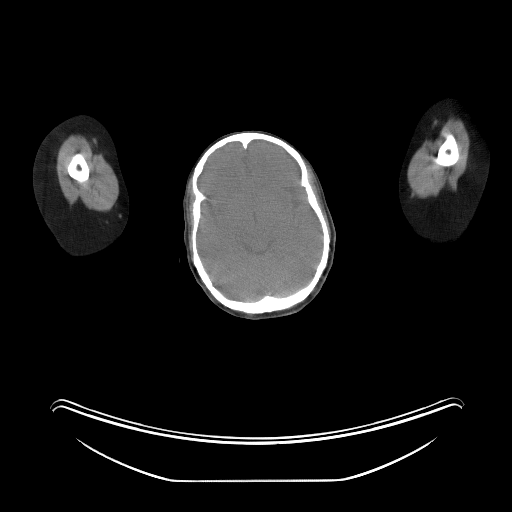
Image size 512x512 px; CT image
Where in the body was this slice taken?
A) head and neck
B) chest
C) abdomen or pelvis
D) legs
Answer: A) head and neck
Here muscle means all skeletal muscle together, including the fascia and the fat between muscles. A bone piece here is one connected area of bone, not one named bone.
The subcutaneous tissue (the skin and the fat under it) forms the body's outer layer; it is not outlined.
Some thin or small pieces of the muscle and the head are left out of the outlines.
The right arm is outlined by 80,113 89,114 97,118 107,128 114,141 120,168 129,196 129,215 127,223 121,235 113,244 103,251 93,255 85,257 74,257 66,254 59,247 44,223 33,194 32,166 37,149 45,135 55,125 64,119. The left arm is outlined by 446,96 455,97 463,106 475,124 489,151 490,167 487,182 478,207 464,234 459,240 451,245 435,246 422,240 414,233 408,225 400,207 398,197 398,178 403,158 405,155 414,128 420,116 433,102. The muscle appears in 3 outlined pieces: piece 1: 71,133 86,133 91,136 95,136 98,140 99,148 103,152 105,158 114,170 118,180 119,194 115,205 108,212 98,212 87,209 85,207 76,207 74,205 69,205 61,192 55,169 56,153 62,140, around a hole outlined by 76,153 82,153 83,154 86,160 86,162 88,165 88,167 89,168 89,176 87,180 81,183 78,182 76,180 72,178 69,175 67,171 67,164 70,161 72,156; piece 2: 450,115 459,117 464,122 469,132 470,148 467,168 459,178 457,188 455,191 450,190 436,196 430,196 427,198 411,197 410,190 407,184 407,169 409,162 414,152 430,130 433,120 436,118 438,119 442,116 with a hole at 447,132 451,133 454,136 456,140 456,142 459,148 459,159 458,161 453,165 451,165 450,166 441,166 440,165 437,165 435,164 433,160 437,155 437,153 438,152 438,149 440,145 445,140 445,136 444,134; piece 3: 306,163 310,168 314,176 316,184 318,187 320,197 328,219 329,228 330,229 330,235 329,228 328,227 327,222 323,215 323,213 322,212 321,207 318,202 316,194 310,183 310,181 309,180 309,172 308,171. The brain is outlined by 252,141 279,146 296,162 299,185 319,223 322,245 313,274 303,286 285,295 265,294 255,300 240,300 226,296 214,284 199,254 197,236 201,204 207,197 200,189 198,180 209,157 218,149 237,142 245,150. The head is outlined by 242,130 264,130 271,132 289,142 309,160 321,183 335,227 336,239 333,263 321,290 307,306 299,312 287,317 251,321 234,317 222,311 208,299 197,284 185,255 182,199 187,176 197,158 212,141 223,134. The bones appear in 3 outlined pieces: piece 1: 240,132 260,132 272,135 280,138 297,150 305,163 309,183 328,228 330,236 328,259 318,282 303,301 287,309 250,314 223,305 206,287 192,260 192,209 195,199 192,191 192,174 194,167 204,152 215,142; inner edge: 252,141 279,146 296,162 299,185 319,223 322,245 313,274 303,286 285,295 265,294 255,300 240,300 226,296 214,284 199,254 197,236 201,204 207,197 200,189 198,180 209,157 218,149 237,142 245,150; piece 2: 447,132 451,133 454,136 456,140 456,142 459,148 459,159 458,161 453,165 451,165 450,166 441,166 440,165 437,165 435,164 433,160 437,155 437,153 438,152 438,149 440,145 445,140 445,136 444,134; piece 3: 76,153 82,153 83,154 86,160 86,162 88,165 88,167 89,168 89,176 87,180 81,183 78,182 76,180 72,178 69,175 67,171 67,164 70,161 72,156.